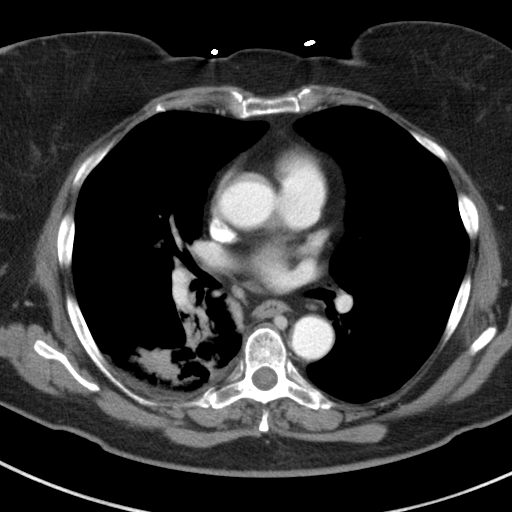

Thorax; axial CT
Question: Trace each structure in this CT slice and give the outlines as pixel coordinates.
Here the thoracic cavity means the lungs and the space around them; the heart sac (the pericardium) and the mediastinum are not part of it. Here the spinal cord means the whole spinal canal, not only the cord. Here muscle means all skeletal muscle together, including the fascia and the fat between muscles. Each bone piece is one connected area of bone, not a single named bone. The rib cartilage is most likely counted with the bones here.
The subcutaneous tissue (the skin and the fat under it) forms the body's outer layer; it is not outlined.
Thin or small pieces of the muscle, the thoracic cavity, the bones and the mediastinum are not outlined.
Answer: muscle: 309,83 339,86 373,96 386,107 397,112 427,132 453,154 469,174 487,204 499,240 499,247 503,264 502,280 507,293 508,301 511,301 511,349 501,358 487,380 479,389 459,401 439,407 433,411 428,411 419,415 399,419 392,422 389,426 389,431 387,435 380,441 373,443 358,443 349,441 307,441 282,437 276,434 270,435 264,433 260,437 243,436 210,447 199,448 171,442 167,438 161,436 156,431 126,427 122,423 110,418 108,415 103,413 98,408 91,406 85,402 71,401 43,392 24,381 17,374 13,367 4,358 0,357 0,320 21,320 24,323 27,323 29,321 35,321 42,325 46,324 49,320 47,308 44,304 45,298 43,294 38,290 35,277 35,258 32,254 45,220 49,214 52,202 74,160 86,146 124,119 135,113 151,99 163,93 173,90 202,85 230,84 242,87 256,95 271,96 281,94 303,84 with holes at 304,87 323,95 323,108 344,99 371,103 406,131 415,131 444,150 448,159 444,165 455,191 466,194 478,214 478,230 468,241 464,271 471,276 471,286 456,328 444,344 439,339 395,391 360,403 327,394 338,404 328,409 306,407 289,397 265,405 243,397 221,408 184,406 200,391 171,396 146,393 106,357 110,371 128,388 158,404 140,404 96,366 67,312 66,294 76,296 74,277 71,265 59,265 57,234 64,214 75,211 80,189 72,184 79,166 113,139 115,145 157,103 191,99 200,101 195,109 222,109 230,89 244,98 275,98 295,95 and at 38,339 44,341 48,345 64,354 74,369 80,375 84,378 97,384 99,386 100,389 98,391 91,391 89,390 76,380 60,361 56,359 46,358 37,353 35,351 33,347 33,345 35,341 and at 489,326 495,326 497,328 497,331 496,332 495,335 492,338 492,339 481,349 480,349 474,355 468,355 467,354 466,354 466,351 468,349 468,348 470,346 470,345 472,343 472,342 487,327 488,327 and at 264,407 265,407 268,410 268,416 267,417 267,423 268,424 268,430 266,432 262,432 261,431 260,431 258,428 258,427 259,426 259,423 261,420 261,417 262,416 262,410
spinal cord: 262,367 267,367 271,369 275,373 276,375 276,382 273,386 267,389 262,389 261,388 259,388 256,385 255,385 255,384 252,380 252,377 253,376 253,374 257,370 258,370
bones 1: 264,326 275,330 280,335 287,356 298,371 338,405 328,409 313,409 299,404 289,397 277,398 265,405 251,398 243,397 221,408 184,406 182,404 200,395 209,387 220,384 243,355 242,347 246,337 256,328 with a hole at 262,367 267,367 271,369 275,373 276,375 276,382 273,386 267,389 262,389 261,388 259,388 256,385 255,385 255,384 252,380 252,377 253,376 253,374 257,370 258,370
bones 2: 304,87 310,87 323,95 323,99 317,107 314,107 306,111 269,113 253,115 245,118 239,118 227,110 225,110 224,108 224,97 228,94 230,89 238,91 242,94 244,98 249,97 275,98 287,95 295,95
bones 3: 68,292 72,294 76,298 86,325 97,347 105,358 110,371 133,392 156,402 158,404 157,405 155,406 148,406 140,404 124,393 117,386 111,382 96,366 81,344 70,321 65,301 65,296
bones 4: 68,211 73,212 73,218 74,219 74,233 73,234 73,245 72,246 72,253 71,254 71,265 69,267 66,268 65,267 60,267 59,265 58,255 57,254 57,234 58,233 58,228 59,227 60,221 64,214
bones 5: 466,274 469,274 471,276 471,286 470,287 470,291 469,292 469,296 467,300 467,303 465,306 464,311 456,328 449,339 442,345 441,343 441,337 443,334 447,321 449,318 459,287 464,276
bones 6: 38,339 44,341 48,345 64,354 74,369 80,375 84,378 97,384 99,386 100,389 98,391 91,391 89,390 76,380 60,361 56,359 46,358 37,353 35,351 33,347 33,345 35,341
bones 7: 458,192 463,192 466,194 474,202 477,209 477,213 478,214 478,230 477,231 477,234 476,236 473,238 469,238 468,234 464,228 464,226 461,219 461,216 459,211 459,207 458,206 458,199 457,198 457,193
bones 8: 113,139 114,140 114,144 113,146 88,174 88,175 85,178 80,188 78,188 77,189 74,189 72,185 73,183 73,180 76,174 76,172 81,163 91,153 92,153 99,148 102,148 104,147 110,141 111,141
bones 9: 174,99 191,99 192,100 199,100 200,101 200,103 196,105 193,109 189,109 188,108 186,108 185,109 169,109 165,111 162,111 161,112 155,113 153,115 139,122 137,122 157,103 159,103 160,102 166,102
bones 10: 410,130 415,131 417,133 421,135 423,135 431,139 433,141 436,142 444,150 447,156 448,161 444,163 437,156 434,155 430,151 429,151 425,147 424,147 419,142 418,142 409,132
bones 11: 489,326 495,326 497,328 497,331 496,332 495,335 492,338 492,339 481,349 480,349 474,355 468,355 467,354 466,354 466,351 468,349 468,348 470,346 470,345 472,343 472,342 487,327 488,327
thoracic cavity 1: 186,109 268,125 252,145 215,172 206,190 198,249 193,254 202,269 220,284 233,306 243,339 242,355 221,382 202,392 152,395 142,391 110,362 87,325 76,297 72,269 74,212 86,178 132,128 155,114
thoracic cavity 2: 335,105 376,110 437,157 453,184 469,239 464,275 437,344 395,391 360,403 329,395 306,378 307,366 326,356 336,341 324,298 327,289 338,287 329,266 346,230 347,186 343,169 333,155 308,141 294,123
pericardium: 276,131 282,131 292,136 302,145 317,149 333,160 341,175 345,205 341,220 341,231 334,240 318,277 306,287 292,293 263,294 248,291 219,269 213,262 204,236 207,231 208,204 218,174 241,154 258,146
torso: 411,19 465,25 511,47 511,415 463,432 439,447 381,465 309,476 234,477 170,469 122,457 0,405 0,47 59,32 112,30 143,35 173,55 212,58 247,47 270,47 303,56 348,57 352,41 367,27
mediastinum 1: 242,152 217,174 205,213 203,241 213,264 248,292 288,295 314,282 342,231 345,206 345,230 328,266 337,287 327,288 323,298 335,341 326,355 306,366 305,377 275,329 258,326 243,338 234,306 194,254 208,187 216,172
mediastinum 2: 321,104 322,108 297,119 293,128 336,160 342,169 346,195 340,169 325,152 302,144 282,130 274,131 258,145 244,151 268,129 267,122 246,121 200,109 223,108 236,118 245,119 269,114 301,113